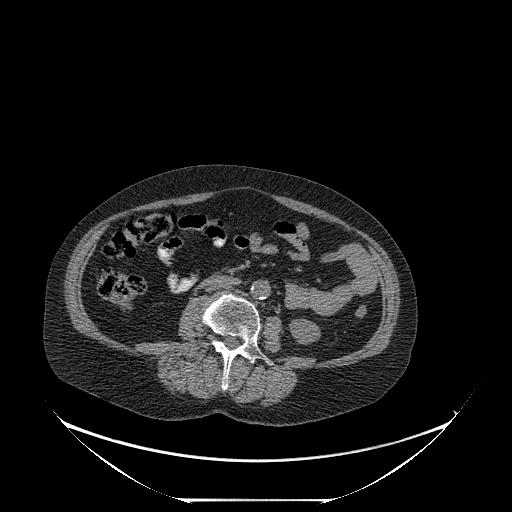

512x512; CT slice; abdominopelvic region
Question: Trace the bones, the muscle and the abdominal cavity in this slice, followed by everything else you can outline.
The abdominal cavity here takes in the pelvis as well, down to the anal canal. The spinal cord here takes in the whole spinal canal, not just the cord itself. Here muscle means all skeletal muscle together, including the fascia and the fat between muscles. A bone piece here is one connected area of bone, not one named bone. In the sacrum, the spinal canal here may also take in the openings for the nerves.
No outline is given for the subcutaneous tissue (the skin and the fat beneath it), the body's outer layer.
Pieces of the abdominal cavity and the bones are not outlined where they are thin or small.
Answer: {"bones":[{"outer":[[222,292],[241,296],[254,305],[258,311],[261,324],[257,344],[272,362],[272,364],[268,364],[263,359],[257,358],[251,363],[246,358],[237,355],[230,365],[226,390],[221,388],[223,360],[210,344],[208,335],[212,332],[211,329],[202,322],[203,310]],"hole":[[226,336],[231,336],[232,337],[237,337],[238,338],[239,338],[242,341],[242,343],[241,344],[240,344],[238,346],[237,346],[235,348],[233,348],[232,349],[230,349],[229,348],[228,348],[225,345],[224,342],[222,340],[222,338],[223,338]]}],"muscle":[{"outer":[[240,185],[252,186],[273,194],[289,197],[308,203],[339,217],[347,223],[368,234],[384,249],[390,258],[397,273],[400,291],[400,303],[397,320],[392,335],[390,337],[389,343],[382,352],[361,359],[350,365],[338,366],[334,368],[307,369],[301,374],[301,377],[299,378],[299,381],[293,391],[281,402],[270,406],[251,407],[247,409],[234,402],[227,395],[220,393],[213,398],[201,402],[196,400],[186,400],[178,396],[175,396],[163,386],[156,377],[154,371],[150,369],[142,361],[140,357],[130,355],[124,351],[108,347],[97,340],[80,333],[71,323],[68,312],[65,307],[63,292],[65,272],[70,256],[84,234],[98,222],[115,213],[156,200],[214,191],[226,187]],"hole":[[236,190],[265,195],[363,239],[376,266],[382,312],[361,348],[325,360],[278,355],[283,324],[266,315],[257,344],[272,364],[237,355],[223,390],[223,360],[202,322],[206,296],[191,298],[182,310],[181,341],[120,342],[90,318],[82,277],[112,222]]}],"abdominal_cavity":[[[236,190],[265,195],[363,239],[376,266],[382,312],[361,348],[325,360],[278,355],[280,317],[266,315],[261,321],[251,301],[225,291],[205,307],[206,296],[187,302],[178,321],[181,341],[120,342],[90,318],[81,297],[82,277],[112,222]]],"spinal_cord":[[[226,336],[231,336],[232,337],[237,337],[238,338],[239,338],[242,341],[242,343],[241,344],[240,344],[238,346],[237,346],[235,348],[233,348],[232,349],[230,349],[229,348],[228,348],[225,345],[224,342],[222,340],[222,338],[223,338]]],"torso":[[[197,164],[237,164],[308,178],[347,196],[371,213],[389,232],[412,274],[418,320],[408,366],[381,398],[346,413],[293,426],[249,424],[221,413],[167,421],[109,403],[54,374],[42,342],[44,293],[51,261],[66,235],[92,209],[123,188],[161,172]]]}